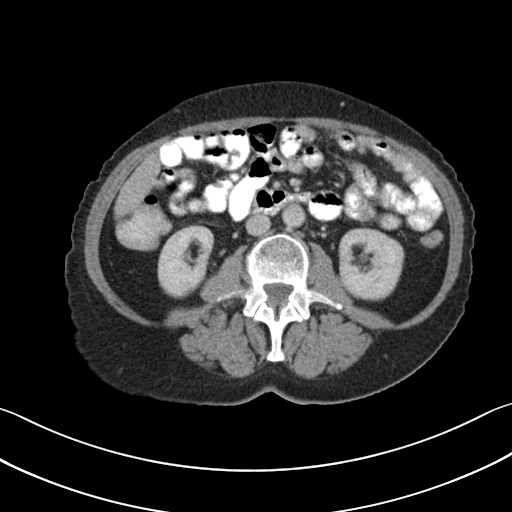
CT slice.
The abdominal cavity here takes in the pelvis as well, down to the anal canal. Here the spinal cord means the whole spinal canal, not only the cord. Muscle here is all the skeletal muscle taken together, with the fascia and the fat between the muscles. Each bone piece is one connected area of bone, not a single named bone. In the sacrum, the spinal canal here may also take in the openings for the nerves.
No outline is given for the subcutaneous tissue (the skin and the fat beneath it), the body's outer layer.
The torso is outlined by (274, 79) (315, 82) (374, 103) (414, 127) (443, 153) (475, 210) (473, 273) (463, 315) (441, 348) (413, 374) (347, 402) (298, 404) (266, 392) (237, 405) (193, 405) (114, 389) (96, 377) (76, 352) (66, 303) (64, 256) (86, 185) (119, 145) (178, 102) (223, 86). The bones are outlined by (277, 233) (285, 233) (303, 243) (309, 261) (307, 286) (342, 307) (337, 309) (312, 302) (307, 319) (291, 321) (285, 326) (281, 336) (284, 359) (272, 362) (266, 359) (271, 348) (269, 328) (243, 314) (245, 299) (240, 296) (216, 299) (250, 285) (246, 254) (256, 242); inner edge: (272, 283) (282, 283) (283, 284) (291, 285) (292, 286) (292, 290) (287, 296) (286, 298) (286, 302) (285, 303) (282, 303) (277, 308) (276, 308) (272, 305) (269, 305) (267, 303) (268, 295) (264, 288) (264, 286) (266, 284) (271, 284). The abdominal cavity is outlined by (275, 121) (380, 138) (433, 184) (447, 216) (447, 261) (439, 289) (413, 316) (395, 322) (355, 305) (325, 250) (311, 242) (308, 252) (285, 232) (246, 253) (241, 244) (205, 280) (200, 304) (175, 306) (160, 319) (141, 315) (111, 287) (100, 236) (132, 170) (178, 134). The muscle is outlined by (242, 116) (316, 116) (368, 126) (424, 153) (446, 176) (459, 198) (464, 216) (462, 258) (456, 280) (445, 299) (422, 322) (405, 329) (382, 331) (357, 362) (338, 374) (305, 379) (278, 362) (285, 359) (282, 336) (286, 326) (291, 322) (307, 320) (311, 315) (312, 303) (322, 303) (337, 310) (343, 307) (340, 302) (308, 286) (311, 243) (318, 244) (329, 256) (341, 286) (355, 306) (375, 311) (395, 323) (413, 317) (433, 299) (440, 289) (447, 267) (450, 229) (446, 207) (438, 190) (413, 161) (380, 137) (347, 128) (275, 120) (178, 133) (148, 153) (127, 175) (113, 197) (99, 236) (101, 269) (113, 291) (145, 318) (160, 320) (165, 312) (175, 307) (200, 305) (203, 302) (200, 290) (206, 280) (219, 269) (225, 258) (241, 245) (247, 246) (244, 261) (249, 285) (220, 294) (215, 299) (217, 302) (233, 297) (244, 299) (242, 314) (268, 328) (270, 348) (265, 359) (271, 362) (248, 376) (232, 378) (200, 367) (188, 359) (178, 346) (177, 331) (147, 327) (120, 314) (106, 301) (87, 273) (84, 261) (86, 219) (97, 192) (116, 165) (133, 149) (174, 130) (205, 121). The spinal cord is outlined by (272, 283) (282, 283) (283, 284) (291, 285) (292, 286) (292, 290) (287, 296) (286, 298) (286, 302) (285, 303) (282, 303) (277, 308) (276, 308) (272, 305) (269, 305) (267, 303) (268, 295) (264, 288) (264, 286) (266, 284) (271, 284).